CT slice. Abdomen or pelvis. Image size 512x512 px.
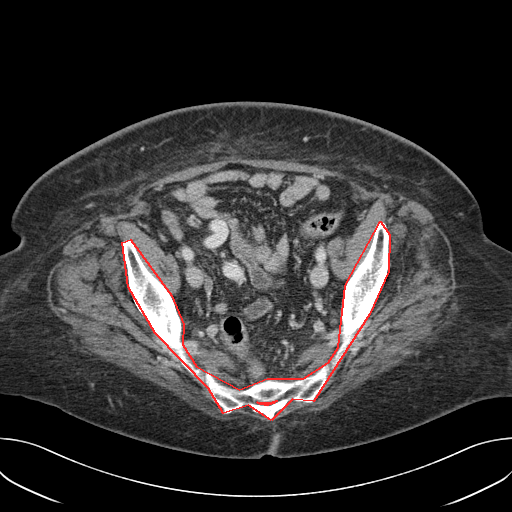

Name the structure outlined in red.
red: bones.
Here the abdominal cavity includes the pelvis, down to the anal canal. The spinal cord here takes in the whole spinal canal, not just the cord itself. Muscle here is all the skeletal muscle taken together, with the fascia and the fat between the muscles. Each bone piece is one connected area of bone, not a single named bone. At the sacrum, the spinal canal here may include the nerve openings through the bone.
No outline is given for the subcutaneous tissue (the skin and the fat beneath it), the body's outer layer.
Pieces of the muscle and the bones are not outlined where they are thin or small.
Outlines:
bones: 380 221; 389 234; 388 271; 369 314; 313 401; 292 399; 271 420; 248 405; 223 413; 208 388; 155 333; 128 287; 122 242; 130 239; 171 295; 183 324; 182 344; 196 366; 239 389; 267 378; 303 378; 328 362; 338 347; 345 285, around a hole outlined by 276 400; 276 401; 275 401; 273 403; 271 403; 270 404; 268 404; 267 405; 265 405; 264 404; 260 404; 259 403; 258 403; 257 402; 272 402; 273 401; 275 401
abdominal cavity: 228 164; 335 177; 349 182; 362 199; 373 201; 350 235; 327 243; 330 267; 344 286; 340 324; 310 343; 285 375; 249 385; 228 354; 205 341; 184 338; 184 324; 173 298; 180 287; 179 264; 134 221; 149 210; 141 199; 147 190
torso: 221 101; 282 102; 359 118; 421 146; 463 181; 479 204; 485 234; 511 251; 511 397; 480 400; 353 447; 245 459; 158 446; 93 425; 52 405; 0 394; 0 254; 20 241; 11 230; 10 219; 24 192; 49 168; 116 130; 165 111
muscle 1: 230 155; 319 164; 422 203; 450 243; 457 285; 451 323; 403 363; 328 407; 272 420; 288 402; 311 404; 324 390; 384 287; 390 234; 384 221; 375 224; 344 285; 328 243; 350 236; 374 201; 335 176; 228 163; 140 197; 148 210; 133 221; 179 267; 173 297; 130 238; 121 250; 134 305; 222 413; 248 406; 268 420; 217 419; 75 349; 70 326; 47 300; 48 275; 64 242; 147 178
muscle 2: 185 340; 193 340; 197 342; 205 342; 212 346; 214 346; 222 353; 228 355; 236 364; 239 371; 242 372; 248 385; 245 387; 239 388; 230 386; 218 381; 209 369; 204 370; 200 366; 196 365; 189 357; 188 353; 183 344; 183 342
muscle 3: 338 326; 341 328; 339 341; 335 351; 328 361; 324 362; 313 373; 303 377; 295 378; 294 379; 280 379; 278 378; 282 376; 285 376; 290 368; 294 365; 295 366; 298 363; 302 354; 308 348; 310 344; 313 343; 316 339; 325 336
spinal cord: 276 400; 276 401; 275 401; 273 403; 271 403; 270 404; 268 404; 267 405; 265 405; 264 404; 260 404; 259 403; 258 403; 257 402; 272 402; 273 401; 275 401